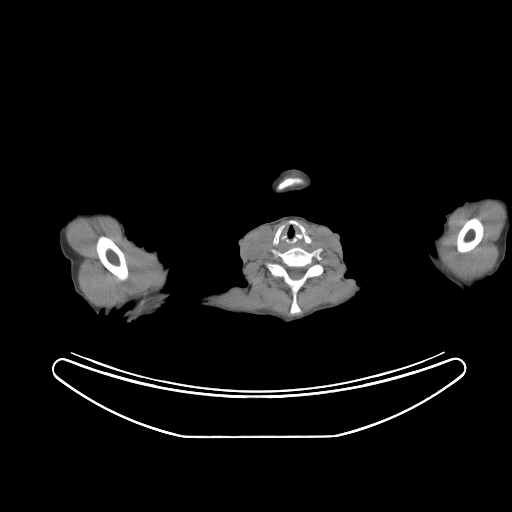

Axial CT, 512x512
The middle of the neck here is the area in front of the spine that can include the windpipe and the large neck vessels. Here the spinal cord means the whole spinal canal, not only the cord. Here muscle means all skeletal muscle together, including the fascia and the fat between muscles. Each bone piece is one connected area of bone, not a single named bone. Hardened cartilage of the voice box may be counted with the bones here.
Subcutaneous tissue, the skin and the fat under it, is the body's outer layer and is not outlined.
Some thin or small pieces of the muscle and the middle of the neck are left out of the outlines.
Outlined structures:
bones 1: (292, 247) (300, 247) (309, 252) (320, 248) (321, 260) (318, 262) (324, 269) (321, 274) (308, 278) (299, 289) (296, 297) (301, 311) (292, 315) (290, 313) (292, 303) (290, 287) (281, 277) (272, 275) (265, 265) (267, 262) (280, 260) (274, 257) (272, 249) (283, 252); inner edge: (287, 267) (306, 267) (306, 270) (305, 271) (305, 272) (303, 274) (303, 275) (300, 278) (299, 278) (298, 279) (293, 279) (292, 278) (291, 278) (289, 276) (289, 275) (288, 274) (288, 273) (287, 272) (287, 269) (286, 268)
bones 2: (100, 236) (106, 236) (110, 238) (123, 253) (124, 257) (125, 258) (125, 260) (126, 261) (126, 264) (128, 268) (128, 277) (127, 279) (125, 280) (119, 280) (109, 270) (108, 270) (101, 262) (98, 256) (97, 251) (96, 250) (96, 244) (97, 243) (97, 240)
bones 3: (473, 217) (475, 217) (477, 218) (483, 225) (483, 235) (480, 241) (471, 250) (467, 252) (459, 252) (457, 250) (457, 248) (456, 247) (456, 240) (457, 239) (457, 236) (458, 235) (458, 233) (461, 229) (461, 228) (464, 225) (464, 224) (469, 219)
bones 4: (290, 219) (296, 220) (305, 228) (306, 234) (311, 239) (311, 242) (310, 243) (307, 243) (303, 237) (301, 236) (300, 237) (301, 234) (300, 228) (297, 225) (292, 223) (286, 223) (281, 230) (277, 244) (274, 245) (272, 243) (275, 232) (279, 226) (281, 224) (286, 223)
bones 5: (287, 177) (299, 177) (300, 178) (302, 178) (305, 181) (305, 184) (293, 184) (292, 185) (291, 185) (290, 186) (288, 186) (287, 187) (286, 187) (283, 190) (282, 190) (281, 191) (276, 191) (276, 187) (277, 186) (277, 185) (281, 181) (282, 181) (285, 178) (286, 178)
left arm: (485, 196) (499, 197) (505, 202) (509, 220) (506, 253) (499, 269) (493, 275) (483, 281) (476, 283) (472, 288) (463, 290) (444, 277) (439, 277) (437, 275) (436, 270) (428, 257) (428, 253) (433, 254) (435, 251) (434, 238) (442, 231) (446, 213) (466, 200) (473, 200)
head and neck 1: (286, 215) (298, 215) (310, 221) (324, 224) (338, 232) (347, 267) (345, 276) (355, 279) (361, 286) (359, 292) (346, 303) (290, 322) (284, 322) (269, 315) (259, 315) (251, 307) (241, 287) (246, 284) (246, 281) (241, 272) (242, 260) (238, 246) (238, 240) (252, 228)
head and neck 2: (290, 168) (297, 168) (303, 170) (309, 174) (313, 181) (313, 183) (311, 186) (308, 189) (306, 189) (305, 191) (302, 191) (297, 193) (292, 193) (289, 195) (285, 195) (281, 197) (270, 192) (269, 189) (270, 184) (274, 178) (275, 178) (276, 176) (283, 170) (289, 169)
torso 1: (233, 286) (240, 286) (245, 295) (245, 297) (250, 307) (258, 315) (228, 313) (225, 311) (222, 311) (219, 309) (216, 309) (213, 307) (206, 307) (205, 306) (200, 305) (198, 303) (198, 301) (197, 300) (199, 298) (201, 298) (204, 296) (206, 296) (210, 294) (221, 292)
torso 2: (165, 291) (170, 292) (171, 295) (167, 299) (163, 307) (156, 311) (153, 314) (147, 316) (142, 316) (137, 319) (136, 321) (132, 323) (127, 323) (125, 320) (122, 318) (123, 311) (120, 310) (128, 306) (130, 306) (137, 302) (140, 302) (145, 299) (160, 294)
right arm: (93, 211) (113, 214) (123, 224) (125, 233) (129, 239) (148, 250) (157, 251) (159, 259) (169, 267) (169, 275) (164, 291) (119, 310) (112, 310) (106, 316) (103, 311) (96, 314) (75, 292) (70, 277) (69, 261) (63, 255) (59, 246) (58, 231) (62, 222) (76, 212)
muscle 1: (98, 217) (113, 219) (128, 242) (155, 256) (164, 271) (163, 281) (157, 291) (164, 297) (159, 303) (141, 313) (134, 314) (132, 310) (137, 299) (130, 299) (109, 307) (96, 306) (84, 294) (78, 282) (77, 254) (69, 245) (65, 232) (67, 227) (78, 218); inner edge: (100, 236) (106, 236) (110, 238) (123, 253) (124, 257) (125, 258) (125, 260) (126, 261) (126, 264) (128, 268) (128, 277) (127, 279) (125, 280) (119, 280) (109, 270) (108, 270) (101, 262) (98, 256) (97, 251) (96, 250) (96, 244) (97, 243) (97, 240)
muscle 2: (284, 219) (289, 219) (278, 226) (271, 243) (276, 248) (289, 248) (283, 251) (272, 248) (273, 257) (279, 260) (267, 261) (264, 265) (272, 276) (281, 278) (289, 287) (291, 316) (267, 309) (236, 309) (211, 302) (213, 298) (248, 286) (241, 249) (244, 238) (263, 226)
muscle 3: (484, 202) (497, 202) (502, 206) (504, 211) (504, 225) (497, 241) (499, 254) (495, 265) (491, 270) (479, 276) (474, 277) (468, 281) (464, 281) (460, 279) (455, 274) (449, 271) (441, 261) (438, 253) (438, 241) (447, 231) (449, 218) (455, 211) (468, 205) (480, 204), around a hole outlined by (473, 217) (475, 217) (477, 218) (483, 225) (483, 235) (480, 241) (471, 250) (467, 252) (459, 252) (457, 250) (457, 248) (456, 247) (456, 240) (457, 239) (457, 236) (458, 235) (458, 233) (461, 229) (461, 228) (464, 225) (464, 224) (469, 219)
muscle 4: (295, 219) (323, 227) (336, 236) (343, 278) (354, 285) (353, 291) (343, 299) (319, 305) (303, 313) (298, 304) (298, 292) (308, 279) (321, 275) (325, 269) (319, 262) (322, 260) (320, 254) (323, 250) (320, 247) (311, 251) (303, 248) (309, 246) (313, 240) (306, 228)
middle of the neck: (286, 224) (292, 224) (297, 226) (300, 230) (299, 237) (300, 238) (301, 237) (303, 238) (304, 241) (307, 244) (310, 244) (309, 245) (306, 245) (303, 247) (301, 247) (300, 246) (276, 247) (275, 246) (278, 244) (280, 239) (280, 235) (282, 232) (282, 230)
spinal cord: (287, 267) (306, 267) (306, 270) (305, 271) (305, 272) (303, 274) (303, 275) (300, 278) (299, 278) (298, 279) (293, 279) (292, 278) (291, 278) (289, 276) (289, 275) (288, 274) (288, 273) (287, 272) (287, 269) (286, 268)